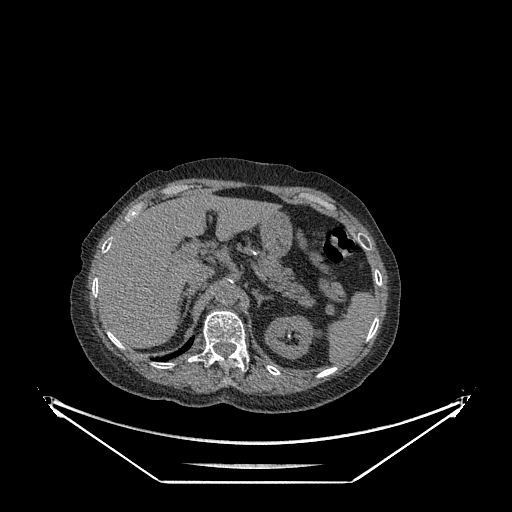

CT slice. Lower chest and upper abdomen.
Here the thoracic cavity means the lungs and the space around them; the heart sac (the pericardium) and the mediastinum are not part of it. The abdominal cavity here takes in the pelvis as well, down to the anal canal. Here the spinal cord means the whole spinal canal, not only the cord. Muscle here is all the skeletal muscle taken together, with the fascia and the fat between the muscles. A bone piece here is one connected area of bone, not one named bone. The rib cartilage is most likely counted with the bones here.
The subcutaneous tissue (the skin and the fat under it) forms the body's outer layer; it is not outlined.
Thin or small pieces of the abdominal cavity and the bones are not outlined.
{"torso":[[[207,157],[281,163],[331,177],[362,200],[393,251],[401,281],[394,343],[382,363],[358,387],[339,399],[285,413],[251,412],[226,403],[184,406],[169,400],[148,399],[113,385],[84,354],[69,311],[72,280],[81,267],[82,240],[95,222],[145,174]]],"muscle":[{"outer":[[184,178],[210,178],[211,179],[244,181],[250,183],[269,184],[270,185],[278,185],[279,186],[303,186],[304,187],[310,187],[325,192],[356,217],[358,220],[366,227],[370,234],[373,237],[376,246],[378,249],[380,257],[385,267],[387,273],[387,277],[388,278],[388,283],[387,284],[389,288],[388,289],[388,299],[387,300],[386,314],[385,315],[384,321],[382,324],[382,328],[373,346],[371,348],[371,351],[353,368],[348,371],[346,371],[341,375],[336,376],[305,391],[300,391],[299,392],[286,394],[285,395],[265,395],[264,396],[246,394],[232,387],[223,387],[218,390],[209,393],[191,393],[187,391],[180,390],[171,386],[163,385],[159,383],[153,382],[145,378],[142,375],[133,370],[119,357],[113,354],[102,342],[94,328],[94,326],[92,323],[92,316],[89,307],[89,302],[87,298],[87,291],[88,290],[87,289],[87,278],[91,265],[91,260],[93,258],[93,255],[95,252],[98,241],[117,216],[122,211],[124,207],[133,199],[148,189],[157,186],[164,185],[166,183],[174,180],[183,179]],"holes":[[[179,184],[210,191],[261,188],[286,202],[337,216],[355,235],[366,234],[372,246],[365,252],[367,260],[371,270],[377,268],[382,276],[382,285],[374,286],[379,325],[373,337],[336,363],[337,370],[320,378],[315,375],[325,367],[296,369],[276,365],[247,331],[245,342],[250,360],[245,371],[229,367],[225,372],[216,361],[208,367],[200,361],[187,361],[205,347],[200,331],[195,333],[189,349],[170,360],[176,364],[170,369],[150,365],[151,359],[145,353],[118,348],[106,334],[108,326],[100,301],[91,291],[93,278],[100,274],[104,260],[101,246],[109,236],[115,238],[120,233],[127,223],[124,216],[133,205],[146,201],[147,206],[164,199],[167,196],[160,190]],[[300,192],[307,192],[308,193],[311,193],[317,196],[319,196],[321,198],[333,204],[335,206],[335,210],[333,211],[331,211],[330,210],[327,210],[320,204],[318,203],[315,203],[307,199],[296,199],[294,198],[294,196],[295,196],[298,193]],[[267,364],[270,364],[271,365],[274,365],[276,367],[277,367],[280,370],[280,371],[281,372],[281,374],[280,375],[273,375],[272,374],[271,374],[266,369],[266,367],[265,366]]]}],"abdominal_cavity":[[[239,187],[261,188],[337,216],[365,251],[375,285],[375,314],[363,342],[345,359],[313,369],[276,365],[250,338],[238,314],[226,308],[205,315],[194,341],[191,337],[176,351],[151,359],[126,347],[108,328],[98,276],[126,224],[154,201],[193,188]]],"thoracic_cavity":[[[191,338],[193,338],[193,343],[192,345],[189,348],[189,349],[188,349],[185,352],[180,354],[178,356],[174,358],[172,358],[170,360],[155,360],[154,359],[152,359],[152,358],[161,357],[162,356],[165,356],[166,355],[171,354],[174,352],[176,352]]],"spinal_cord":[[[220,342],[222,342],[223,343],[230,343],[231,344],[233,344],[235,346],[235,348],[234,349],[234,350],[230,354],[229,354],[226,357],[225,357],[224,356],[222,356],[221,355],[218,354],[215,351],[215,349],[214,348],[214,346],[217,343],[219,343]]],"bones":[{"outer":[[215,309],[231,310],[242,320],[245,329],[246,347],[250,355],[247,370],[242,371],[238,367],[229,367],[225,372],[216,361],[208,367],[205,367],[204,364],[200,361],[187,361],[188,357],[200,353],[204,349],[205,341],[202,334],[203,321],[206,315]],"hole":[[220,342],[222,342],[223,343],[230,343],[231,344],[233,344],[235,346],[235,348],[234,349],[234,350],[230,354],[229,354],[226,357],[225,357],[224,356],[222,356],[221,355],[218,354],[215,351],[215,349],[214,348],[214,346],[217,343],[219,343]]},[[300,192],[307,192],[308,193],[311,193],[317,196],[319,196],[321,198],[333,204],[335,206],[335,210],[333,211],[331,211],[330,210],[327,210],[320,204],[318,203],[315,203],[307,199],[296,199],[294,198],[294,196],[295,196],[298,193]],[[179,184],[187,184],[188,185],[193,184],[193,187],[192,188],[190,188],[184,191],[181,191],[177,194],[175,194],[174,195],[170,195],[169,196],[167,196],[164,194],[162,194],[160,193],[160,190],[164,187],[166,187],[170,185],[178,185]],[[139,201],[146,201],[146,202],[147,203],[146,204],[146,205],[139,212],[139,213],[138,213],[137,214],[137,215],[136,215],[129,222],[127,222],[126,221],[125,221],[125,220],[124,219],[124,216],[126,214],[126,213],[133,205],[134,205]],[[358,232],[362,232],[366,234],[369,237],[370,239],[370,241],[371,242],[371,245],[372,246],[372,249],[371,250],[368,250],[366,251],[360,245],[360,244],[358,243],[354,235],[355,235]],[[375,315],[377,315],[379,318],[379,325],[378,326],[378,328],[375,334],[373,336],[373,337],[371,339],[370,339],[368,342],[365,343],[364,342],[364,340],[366,337],[366,335],[368,332],[368,330],[370,327],[370,325]],[[151,360],[154,360],[155,361],[171,361],[172,362],[174,362],[176,364],[172,368],[171,368],[170,369],[163,369],[162,368],[157,368],[156,367],[154,367],[153,366],[152,366],[151,365],[150,365],[150,364],[149,363],[149,362]],[[107,329],[108,329],[121,342],[121,343],[122,344],[123,344],[123,345],[124,346],[125,346],[125,349],[124,350],[122,350],[121,349],[120,349],[119,348],[118,348],[110,340],[110,339],[108,337],[108,336],[106,334],[106,330]],[[334,365],[337,366],[338,368],[337,370],[336,370],[333,373],[331,374],[329,374],[328,375],[326,375],[320,378],[317,378],[315,377],[315,375],[320,371],[328,367],[330,367]],[[111,235],[112,235],[114,237],[114,238],[112,241],[112,243],[111,244],[111,245],[110,246],[109,249],[104,254],[103,253],[102,253],[102,252],[101,251],[101,246],[102,245],[103,242],[105,240],[105,239],[106,239],[109,236],[110,236]],[[95,276],[97,276],[97,277],[98,278],[98,297],[97,298],[95,298],[93,296],[93,295],[92,294],[92,292],[91,291],[91,287],[92,286],[92,281],[93,280],[93,278]],[[267,364],[270,364],[271,365],[274,365],[276,367],[277,367],[280,370],[280,371],[281,372],[281,374],[280,375],[273,375],[272,374],[271,374],[266,369],[266,367],[265,366]]]}